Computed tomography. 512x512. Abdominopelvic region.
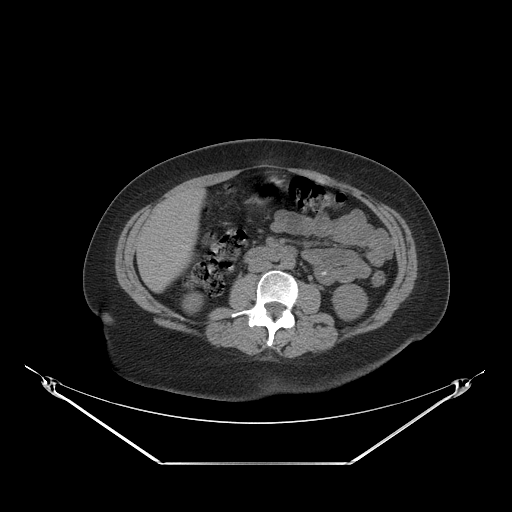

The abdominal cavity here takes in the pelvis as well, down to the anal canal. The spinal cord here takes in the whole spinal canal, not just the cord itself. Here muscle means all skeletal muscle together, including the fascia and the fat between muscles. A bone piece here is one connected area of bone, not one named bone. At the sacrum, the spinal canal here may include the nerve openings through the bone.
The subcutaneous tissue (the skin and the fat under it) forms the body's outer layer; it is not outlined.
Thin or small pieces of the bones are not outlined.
{"abdominal_cavity":[[[263,167],[295,173],[353,196],[390,233],[397,273],[379,305],[356,325],[336,327],[334,318],[320,310],[318,286],[280,269],[260,276],[248,272],[235,279],[229,305],[215,307],[206,319],[177,313],[154,298],[139,280],[134,254],[161,202],[184,190]]],"spinal_cord":[[[270,302],[277,302],[278,303],[280,303],[281,304],[282,304],[284,306],[284,309],[281,312],[281,314],[278,317],[274,317],[272,315],[271,315],[270,314],[269,314],[269,313],[267,311],[267,310],[265,307],[265,304],[266,304],[267,303],[269,303]]],"muscle":[{"outer":[[250,165],[280,165],[286,167],[303,168],[304,169],[311,169],[312,170],[315,170],[320,173],[326,174],[333,178],[335,178],[339,181],[345,182],[365,192],[376,200],[382,202],[391,208],[394,209],[400,214],[408,225],[415,243],[416,254],[417,255],[417,277],[415,280],[414,286],[408,297],[400,304],[400,306],[393,313],[391,318],[386,323],[374,330],[357,335],[352,338],[343,341],[338,346],[329,352],[314,358],[307,358],[302,360],[288,360],[280,357],[275,351],[272,350],[265,351],[259,354],[254,355],[251,357],[238,357],[237,356],[234,356],[231,354],[229,355],[223,353],[219,351],[213,345],[207,341],[202,340],[196,336],[193,336],[180,331],[165,328],[156,324],[153,321],[152,314],[139,306],[119,285],[115,273],[115,261],[114,260],[115,257],[115,250],[116,249],[117,241],[119,235],[124,225],[129,218],[135,212],[147,204],[154,202],[168,190],[188,179],[194,177],[197,177],[201,175],[208,174],[209,173],[225,171],[226,170],[231,170],[232,169],[238,169]],"hole":[[263,167],[353,196],[390,233],[397,273],[356,325],[336,327],[320,310],[318,286],[296,278],[295,324],[277,329],[268,346],[265,326],[231,316],[254,304],[259,274],[235,279],[229,305],[206,319],[177,313],[139,280],[134,254],[161,202]]}],"torso":[[[244,138],[298,140],[354,152],[389,167],[417,191],[435,221],[449,265],[449,299],[433,331],[378,369],[335,390],[256,401],[220,401],[177,394],[132,382],[108,367],[101,322],[88,307],[82,288],[86,251],[102,214],[128,182],[151,166],[196,148]]],"bones":[{"outer":[[275,269],[287,272],[295,278],[298,285],[298,296],[291,309],[295,318],[294,326],[277,329],[273,336],[272,345],[268,346],[266,343],[268,330],[265,326],[255,325],[251,327],[245,314],[234,317],[231,314],[248,309],[254,304],[259,278],[265,272]],"hole":[[270,302],[277,302],[278,303],[280,303],[281,304],[282,304],[284,306],[284,309],[281,312],[281,314],[278,317],[274,317],[272,315],[271,315],[270,314],[269,314],[269,313],[267,311],[267,310],[265,307],[265,304],[266,304],[267,303],[269,303]]}]}